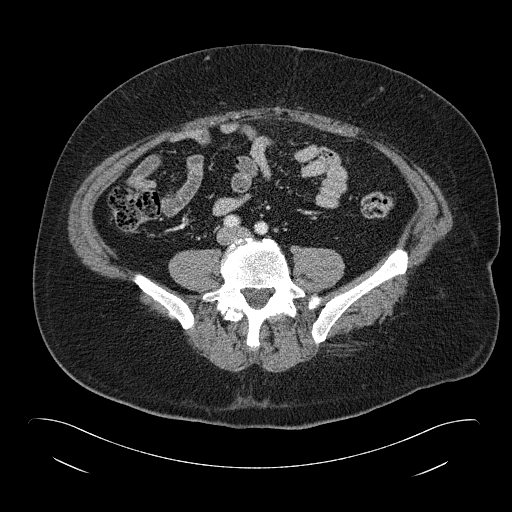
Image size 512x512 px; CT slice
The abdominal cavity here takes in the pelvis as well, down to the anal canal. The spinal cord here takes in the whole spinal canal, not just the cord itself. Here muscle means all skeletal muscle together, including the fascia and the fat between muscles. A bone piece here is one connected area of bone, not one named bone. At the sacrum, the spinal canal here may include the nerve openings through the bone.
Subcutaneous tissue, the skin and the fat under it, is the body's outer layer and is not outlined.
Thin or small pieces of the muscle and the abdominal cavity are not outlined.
{"torso":[[[240,43],[315,47],[382,63],[435,90],[473,125],[492,164],[501,224],[491,266],[499,329],[494,349],[477,373],[312,427],[234,428],[165,418],[110,400],[74,381],[55,362],[35,318],[32,268],[47,187],[69,136],[98,101],[144,69],[192,51]]],"bones":[{"outer":[[246,237],[276,241],[285,255],[292,281],[306,294],[293,300],[294,317],[282,314],[261,324],[259,346],[255,349],[246,343],[245,316],[237,321],[224,320],[215,300],[202,300],[203,294],[217,289],[224,281],[220,260],[226,248],[236,239]],"hole":[[245,289],[269,289],[270,290],[271,290],[271,294],[269,296],[267,301],[263,306],[262,306],[259,308],[254,308],[253,307],[252,307],[248,303],[248,302],[247,301],[247,300],[246,299],[244,294],[242,292],[242,291]]},[[397,247],[402,248],[407,251],[408,263],[406,271],[402,274],[396,275],[394,277],[384,281],[354,301],[332,325],[325,340],[318,344],[316,344],[311,335],[311,329],[313,323],[316,320],[325,303],[334,296],[349,290],[369,277],[382,265],[389,254]],[[134,272],[140,272],[167,291],[169,291],[181,298],[187,304],[193,314],[194,317],[194,325],[193,327],[188,329],[184,329],[181,326],[180,323],[174,317],[173,317],[161,304],[154,300],[148,294],[145,293],[137,285],[136,285],[132,280],[132,277]],[[312,294],[316,294],[317,295],[318,295],[319,296],[322,296],[323,297],[323,300],[321,302],[321,303],[318,306],[317,306],[315,308],[314,308],[313,309],[309,309],[308,308],[308,307],[307,306],[308,305],[308,300],[309,299],[309,297]]],"muscle":[{"outer":[[276,105],[277,106],[284,106],[288,108],[294,108],[301,111],[309,111],[317,114],[339,119],[344,122],[353,124],[362,128],[378,139],[382,140],[383,142],[393,146],[399,151],[401,151],[404,154],[406,154],[414,159],[435,181],[441,189],[453,215],[453,225],[451,230],[446,236],[434,245],[433,248],[426,257],[424,262],[410,278],[409,284],[407,287],[407,293],[401,301],[400,306],[392,319],[373,327],[370,327],[365,330],[357,331],[338,339],[333,339],[324,345],[319,352],[308,362],[290,370],[282,372],[270,372],[265,371],[255,363],[243,370],[233,372],[221,369],[211,362],[199,356],[189,347],[182,336],[175,328],[148,312],[139,302],[133,291],[128,286],[118,281],[112,280],[108,277],[100,275],[78,261],[72,254],[72,252],[68,245],[67,214],[69,205],[74,193],[91,170],[105,158],[133,142],[156,132],[161,131],[166,128],[177,125],[180,123],[183,123],[186,121],[192,120],[198,117],[217,114],[220,112],[223,113],[232,110],[239,110],[245,108],[253,108],[261,106],[268,107]],"holes":[[[270,116],[373,146],[417,208],[374,265],[330,290],[342,256],[293,245],[306,296],[294,317],[266,319],[252,349],[245,316],[224,320],[202,300],[224,281],[220,249],[169,259],[190,292],[147,277],[187,304],[184,329],[134,283],[93,208],[160,143]],[[397,247],[402,248],[407,251],[408,263],[406,271],[402,274],[396,275],[394,277],[384,281],[354,301],[332,325],[325,340],[318,344],[316,344],[311,335],[311,329],[313,323],[316,320],[325,303],[334,296],[349,290],[369,277],[382,265],[389,254]],[[312,294],[316,294],[317,295],[318,295],[319,296],[322,296],[323,297],[323,300],[321,302],[321,303],[318,306],[317,306],[315,308],[314,308],[313,309],[309,309],[308,308],[308,307],[307,306],[308,305],[308,300],[309,299],[309,297]]]}],"spinal_cord":[[[245,289],[269,289],[270,290],[271,290],[271,294],[269,296],[267,301],[263,306],[262,306],[259,308],[254,308],[253,307],[252,307],[248,303],[248,302],[247,301],[247,300],[246,299],[244,294],[242,292],[242,291]]],"abdominal_cavity":[[[270,116],[362,140],[398,168],[417,208],[394,246],[369,269],[326,291],[345,272],[337,251],[293,245],[291,276],[286,255],[271,237],[236,238],[222,254],[218,248],[177,251],[167,270],[187,293],[120,260],[97,230],[93,208],[132,162],[190,129]]]}